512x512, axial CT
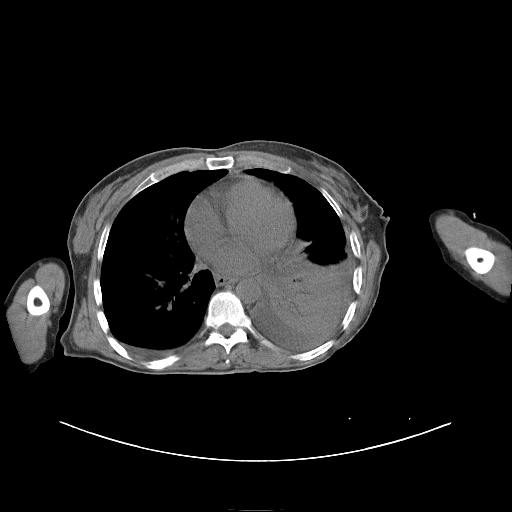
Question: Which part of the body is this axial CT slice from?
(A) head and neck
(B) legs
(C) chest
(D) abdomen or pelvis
Answer: (C) chest
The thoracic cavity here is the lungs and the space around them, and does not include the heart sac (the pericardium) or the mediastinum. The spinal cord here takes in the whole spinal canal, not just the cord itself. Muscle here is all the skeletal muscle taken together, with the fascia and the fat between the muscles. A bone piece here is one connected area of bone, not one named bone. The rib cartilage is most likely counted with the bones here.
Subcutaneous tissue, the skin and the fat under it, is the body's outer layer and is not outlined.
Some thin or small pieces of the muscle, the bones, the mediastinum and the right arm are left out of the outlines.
Outlines:
thoracic cavity 1: 219 169; 226 169; 226 173; 202 189; 193 198; 183 221; 183 232; 194 254; 194 261; 203 269; 210 271; 214 282; 197 339; 185 350; 160 358; 146 359; 130 353; 110 331; 102 305; 101 267; 112 224; 129 200; 163 179; 181 171
thoracic cavity 2: 250 168; 264 168; 305 180; 320 192; 349 231; 349 245; 355 259; 351 281; 354 298; 333 336; 306 351; 294 353; 279 347; 256 329; 248 315; 264 292; 262 277; 278 270; 298 242; 298 221; 292 201; 273 180; 246 173; 245 170
right arm: 49 255; 58 256; 65 262; 70 274; 69 294; 66 309; 59 322; 59 329; 56 334; 56 343; 53 357; 42 363; 35 371; 29 373; 21 360; 11 331; 8 327; 9 324; 5 316; 6 310; 4 307; 4 300; 19 274; 37 259
muscle 1: 232 150; 261 151; 285 157; 313 172; 340 196; 364 241; 372 236; 381 254; 374 276; 373 294; 360 322; 324 356; 301 365; 164 369; 178 361; 181 358; 178 353; 185 351; 198 337; 203 338; 200 342; 202 346; 219 344; 228 355; 234 345; 249 341; 248 333; 270 349; 278 347; 293 353; 288 356; 290 359; 314 359; 336 343; 332 338; 340 326; 343 331; 348 327; 357 307; 355 294; 360 293; 363 281; 362 267; 356 265; 355 258; 359 259; 362 255; 358 236; 353 229; 346 228; 341 219; 344 215; 340 205; 324 187; 317 188; 295 175; 290 165; 260 155; 200 156; 185 158; 151 171; 131 191; 112 223; 107 221; 103 225; 98 240; 96 259; 101 263; 100 275; 92 280; 92 293; 95 304; 102 308; 95 311; 96 319; 109 345; 127 360; 133 359; 130 354; 147 360; 140 361; 145 368; 124 363; 95 350; 74 350; 71 333; 81 298; 87 293; 87 276; 96 237; 95 224; 111 195; 129 178; 155 162; 187 153; 216 155
muscle 2: 45 262; 54 262; 62 268; 65 279; 63 294; 57 311; 50 316; 51 325; 47 328; 46 348; 44 353; 36 361; 25 364; 21 360; 17 347; 14 343; 5 313; 6 309; 12 303; 19 286; 26 279; 33 275; 35 269; 40 264; inner edge: 36 284; 38 284; 40 286; 41 286; 42 288; 45 291; 49 299; 49 309; 45 313; 43 314; 41 314; 40 315; 37 315; 36 314; 34 315; 31 315; 28 312; 27 310; 27 296; 28 295; 29 290; 34 285
muscle 3: 449 212; 451 212; 455 216; 469 225; 485 232; 490 238; 506 245; 511 250; 511 289; 509 291; 510 294; 508 296; 497 292; 481 280; 475 279; 460 263; 452 257; 451 254; 437 232; 435 226; 435 218; 440 214; 448 213, around a hole outlined by 471 246; 476 246; 480 248; 486 249; 490 251; 494 255; 495 257; 494 263; 492 267; 490 269; 490 270; 486 273; 483 273; 481 274; 480 273; 476 272; 470 266; 470 265; 468 263; 466 259; 464 251; 466 248; 470 247
bones 1: 220 291; 231 291; 235 294; 240 300; 245 313; 250 318; 255 329; 277 348; 273 349; 266 346; 248 332; 248 341; 234 344; 228 354; 219 343; 212 343; 207 346; 202 345; 201 342; 204 338; 199 337; 198 334; 203 325; 211 296, around a hole outlined by 225 323; 228 323; 230 325; 231 325; 234 328; 234 329; 233 330; 233 331; 228 336; 226 336; 225 335; 224 335; 223 334; 222 334; 219 331; 219 328; 223 324; 224 324
bones 2: 246 154; 260 156; 280 162; 284 166; 290 166; 293 174; 283 173; 264 167; 246 167; 237 165; 230 168; 181 170; 144 188; 127 201; 129 195; 141 181; 151 172; 164 166; 191 158; 206 158; 212 156; 222 157; 229 155; 236 158
bones 3: 471 246; 476 246; 480 248; 486 249; 490 251; 494 255; 495 257; 494 263; 492 267; 490 269; 490 270; 486 273; 483 273; 481 274; 480 273; 476 272; 470 266; 470 265; 468 263; 466 259; 464 251; 466 248; 470 247
bones 4: 36 284; 38 284; 40 286; 41 286; 42 288; 45 291; 49 299; 49 309; 45 313; 43 314; 41 314; 40 315; 37 315; 36 314; 34 315; 31 315; 28 312; 27 310; 27 296; 28 295; 29 290; 34 285
bones 5: 98 309; 102 309; 103 310; 103 312; 105 315; 109 327; 109 331; 108 333; 110 335; 112 335; 121 344; 121 345; 132 357; 132 359; 130 360; 125 358; 119 354; 110 345; 109 342; 107 340; 106 335; 104 333; 97 319; 96 311
bones 6: 330 339; 334 339; 335 340; 335 343; 325 352; 316 356; 314 358; 312 358; 309 360; 298 360; 297 359; 293 359; 289 357; 289 356; 292 354; 301 353; 302 352; 306 352; 312 349; 314 349; 318 347; 320 345; 325 343
bones 7: 172 354; 177 354; 180 357; 180 358; 178 360; 175 361; 171 365; 169 365; 165 367; 163 369; 148 369; 146 368; 141 363; 141 361; 147 361; 148 360; 155 360; 156 359; 160 359; 161 358; 164 358
bones 8: 107 222; 110 222; 111 223; 111 226; 110 227; 109 233; 107 237; 107 240; 105 244; 105 248; 103 252; 103 257; 102 258; 101 262; 100 262; 97 259; 97 251; 98 250; 99 240; 101 236; 102 230; 104 227; 104 225
bones 9: 319 187; 322 187; 324 188; 337 202; 337 203; 339 205; 341 209; 341 211; 343 215; 343 217; 342 218; 340 218; 338 216; 338 215; 336 213; 334 209; 331 206; 331 205; 328 202; 326 198; 318 189
bones 10: 359 265; 361 267; 361 269; 362 270; 362 281; 361 282; 360 291; 359 292; 359 293; 358 294; 357 294; 356 293; 355 293; 355 292; 353 290; 353 285; 352 284; 352 281; 353 280; 353 273; 354 272; 354 268; 356 266; 358 266
bones 11: 353 300; 356 300; 357 302; 356 303; 356 307; 354 311; 354 314; 353 315; 353 317; 352 319; 348 324; 347 327; 343 330; 342 329; 342 326; 341 325; 341 323; 342 322; 342 320; 346 313; 346 311; 350 303
bones 12: 352 230; 353 230; 355 232; 357 236; 358 241; 359 242; 359 246; 360 247; 360 254; 361 255; 359 258; 357 258; 355 257; 351 249; 351 246; 350 245; 350 231
bones 13: 96 277; 98 277; 99 278; 99 281; 100 282; 100 289; 101 290; 101 297; 102 298; 102 304; 100 306; 98 306; 96 304; 96 302; 95 301; 95 297; 94 296; 94 294; 93 293; 93 280; 94 279; 94 278; 95 278
pericardium: 234 172; 252 175; 271 182; 287 196; 293 205; 297 221; 297 227; 295 232; 297 242; 293 246; 293 249; 287 259; 281 264; 278 269; 261 277; 257 275; 229 275; 202 263; 192 251; 184 232; 184 221; 186 213; 194 198; 210 186
spinal cord: 225 323; 228 323; 230 325; 231 325; 234 328; 234 329; 233 330; 233 331; 228 336; 226 336; 225 335; 224 335; 223 334; 222 334; 219 331; 219 328; 223 324; 224 324
torso: 254 139; 296 144; 337 162; 389 217; 385 232; 389 257; 378 297; 365 325; 325 361; 293 371; 155 375; 130 371; 95 358; 66 356; 59 340; 68 324; 74 297; 66 241; 72 216; 86 192; 120 165; 152 151; 179 146; 219 148
mediastinum 1: 195 255; 195 257; 202 264; 209 266; 222 274; 229 276; 257 276; 261 278; 261 283; 263 284; 263 292; 255 305; 249 310; 247 314; 241 300; 231 290; 220 290; 212 294; 215 288; 213 275; 209 269; 203 268; 199 263; 195 261
mediastinum 2: 234 166; 237 166; 238 167; 245 167; 246 168; 251 167; 249 168; 246 168; 244 170; 244 172; 245 173; 243 173; 240 171; 234 171; 226 175; 215 183; 210 185; 214 182; 220 179; 223 176; 224 176; 227 173; 227 169; 230 169
left arm: 439 207; 452 207; 459 209; 465 212; 471 218; 473 217; 479 222; 490 225; 496 228; 511 240; 511 289; 507 303; 505 304; 495 300; 484 292; 470 284; 445 263; 440 250; 433 238; 430 226; 428 223; 428 215; 429 213; 432 210